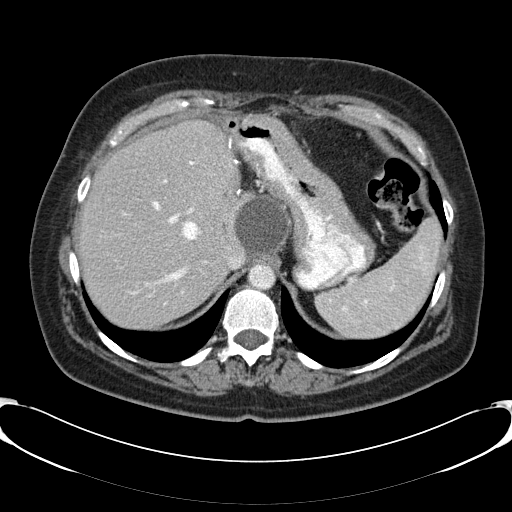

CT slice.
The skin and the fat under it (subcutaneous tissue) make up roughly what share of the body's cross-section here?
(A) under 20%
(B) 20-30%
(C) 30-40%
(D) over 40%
Answer: (B) 20-30%
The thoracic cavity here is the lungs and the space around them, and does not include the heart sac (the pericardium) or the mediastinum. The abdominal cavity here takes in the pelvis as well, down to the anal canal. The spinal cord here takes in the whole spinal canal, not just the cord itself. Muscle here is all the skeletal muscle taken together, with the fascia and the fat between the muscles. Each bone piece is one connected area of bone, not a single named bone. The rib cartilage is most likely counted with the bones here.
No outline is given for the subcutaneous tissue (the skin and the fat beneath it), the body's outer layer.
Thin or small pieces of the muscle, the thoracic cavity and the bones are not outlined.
The muscle is outlined by (186, 88) (189, 89) (207, 88) (208, 89) (220, 89) (221, 90) (232, 90) (233, 91) (262, 91) (263, 92) (277, 92) (278, 93) (288, 93) (289, 94) (294, 93) (295, 94) (304, 94) (305, 95) (319, 95) (320, 94) (333, 94) (334, 93) (354, 95) (358, 97) (362, 97) (371, 100) (381, 105) (390, 112) (399, 116) (406, 121) (426, 142) (427, 147) (431, 151) (435, 163) (442, 175) (457, 207) (457, 232) (456, 233) (455, 272) (454, 273) (453, 325) (449, 336) (443, 342) (424, 351) (372, 381) (337, 390) (319, 396) (312, 396) (311, 397) (288, 397) (261, 388) (256, 388) (255, 387) (246, 388) (242, 386) (237, 386) (233, 389) (228, 390) (225, 394) (216, 396) (199, 396) (194, 394) (190, 394) (177, 389) (174, 389) (171, 387) (164, 386) (151, 381) (148, 381) (136, 376) (132, 373) (127, 372) (125, 370) (101, 358) (77, 342) (67, 331) (59, 310) (58, 290) (57, 289) (57, 264) (58, 263) (58, 246) (63, 228) (67, 206) (70, 199) (72, 189) (77, 180) (78, 175) (88, 158) (93, 153) (108, 130) (124, 113) (145, 100) (150, 99) (172, 90) (185, 89) with holes at (194, 97) (213, 99) (215, 104) (191, 105) (154, 117) (131, 134) (161, 118) (232, 109) (273, 97) (319, 116) (356, 120) (340, 115) (339, 104) (374, 109) (419, 141) (426, 154) (424, 167) (453, 210) (441, 264) (446, 277) (435, 304) (425, 310) (401, 344) (402, 350) (389, 362) (350, 375) (348, 371) (362, 365) (310, 368) (296, 357) (298, 349) (281, 324) (274, 334) (272, 353) (261, 355) (250, 367) (238, 354) (224, 362) (218, 359) (217, 352) (226, 344) (220, 324) (200, 348) (212, 346) (212, 350) (190, 366) (133, 353) (143, 363) (133, 362) (101, 341) (81, 285) (76, 285) (69, 268) (68, 253) (76, 252) (82, 207) (77, 201) (78, 186) (87, 174) (94, 177) (111, 149) (108, 140) (120, 123) (162, 102) and at (246, 380) (247, 380) (248, 380) (249, 380) (250, 380) (251, 381) (252, 382) (253, 382) (253, 383) (254, 384) (253, 385) (252, 385) (251, 386) (250, 386) (249, 386) (248, 386) (247, 386) (246, 386) (245, 385) (244, 385) (243, 384) (243, 383) (244, 382) (245, 381). The thoracic cavity appears in 3 outlined pieces: piece 1: (282, 286) (287, 290) (293, 306) (300, 317) (314, 330) (336, 341) (376, 340) (393, 334) (409, 324) (416, 317) (429, 296) (430, 295) (430, 299) (419, 323) (400, 345) (378, 358) (362, 365) (331, 367) (324, 365) (299, 350) (292, 342) (292, 339) (281, 324) (279, 313); piece 2: (82, 288) (93, 306) (110, 324) (124, 330) (151, 333) (167, 332) (182, 328) (203, 315) (226, 290) (228, 290) (228, 296) (225, 302) (220, 324) (206, 342) (193, 354) (185, 358) (178, 361) (165, 362) (150, 360) (131, 353) (102, 331) (94, 321) (87, 307) (82, 293); piece 3: (428, 174) (437, 186) (437, 188) (441, 197) (442, 209) (443, 210) (445, 221) (447, 225) (446, 236) (444, 235) (444, 231) (438, 214) (436, 212) (436, 210) (434, 209) (430, 201) (430, 192) (429, 191) (429, 186) (428, 185) (428, 182) (429, 181). The torso is outlined by (198, 53) (365, 62) (409, 79) (443, 106) (461, 137) (485, 231) (477, 339) (471, 357) (460, 370) (411, 395) (360, 411) (300, 421) (248, 418) (232, 422) (132, 403) (85, 386) (57, 366) (33, 303) (29, 247) (40, 198) (69, 130) (90, 96) (122, 71) (159, 58). The mediastinum is outlined by (260, 261) (271, 262) (279, 271) (279, 277) (281, 280) (279, 312) (277, 311) (276, 305) (270, 296) (265, 292) (258, 289) (255, 289) (250, 287) (245, 287) (237, 290) (228, 298) (229, 296) (229, 290) (234, 282) (248, 269) (248, 267) (250, 265) (255, 262) (259, 262). The abdominal cavity is outlined by (265, 97) (386, 131) (427, 170) (429, 201) (446, 237) (431, 295) (415, 317) (393, 333) (376, 339) (336, 340) (301, 317) (278, 268) (260, 260) (250, 264) (203, 314) (182, 327) (151, 332) (110, 323) (81, 287) (76, 255) (78, 217) (102, 158) (161, 118) (232, 109). The spinal cord is outlined by (249, 329) (252, 329) (253, 330) (257, 330) (259, 331) (263, 335) (264, 335) (265, 337) (265, 341) (263, 343) (258, 345) (256, 347) (252, 349) (248, 349) (246, 348) (241, 344) (238, 343) (235, 340) (235, 337) (241, 331) (243, 331) (244, 330) (248, 330). The bones appear in 11 outlined pieces: piece 1: (245, 288) (258, 290) (269, 296) (275, 305) (280, 321) (280, 326) (274, 334) (274, 347) (272, 353) (270, 355) (261, 355) (250, 367) (238, 354) (230, 356) (224, 362) (221, 362) (217, 357) (217, 352) (226, 344) (226, 333) (221, 326) (221, 320) (226, 302) (234, 293), around a hole outlined by (249, 329) (252, 329) (253, 330) (257, 330) (259, 331) (263, 335) (264, 335) (265, 337) (265, 341) (263, 343) (258, 345) (256, 347) (252, 349) (248, 349) (246, 348) (241, 344) (238, 343) (235, 340) (235, 337) (241, 331) (243, 331) (244, 330) (248, 330); piece 2: (194, 97) (205, 97) (213, 99) (215, 101) (215, 104) (197, 106) (191, 105) (181, 111) (176, 111) (166, 115) (160, 115) (154, 117) (138, 125) (117, 145) (113, 147) (109, 145) (108, 140) (110, 136) (119, 124) (129, 117) (151, 106) (165, 101) (181, 98) (189, 99); piece 3: (339, 104) (350, 104) (355, 106) (361, 106) (374, 109) (395, 124) (399, 125) (405, 129) (414, 136) (421, 144) (426, 154) (427, 165) (426, 166) (421, 165) (410, 153) (406, 146) (397, 137) (385, 128) (375, 124) (362, 121) (351, 116) (340, 115) (342, 114) (338, 106); piece 4: (401, 345) (403, 347) (402, 350) (393, 359) (386, 364) (378, 368) (372, 370) (369, 370) (368, 371) (365, 371) (364, 372) (361, 372) (360, 373) (357, 373) (356, 374) (348, 375) (346, 373) (350, 370) (358, 369) (364, 365) (378, 359) (380, 357) (385, 355) (390, 351); piece 5: (97, 329) (99, 329) (102, 332) (103, 332) (110, 339) (111, 339) (124, 350) (131, 354) (135, 358) (141, 361) (143, 364) (141, 363) (138, 363) (137, 362) (133, 362) (128, 359) (126, 359) (116, 354) (110, 349) (109, 349) (101, 341) (97, 335) (96, 333) (96, 330); piece 6: (209, 346) (212, 346) (212, 350) (209, 353) (209, 354) (202, 361) (201, 361) (199, 363) (195, 365) (191, 365) (190, 366) (183, 366) (179, 364) (178, 362) (179, 361) (183, 359) (185, 359) (193, 355) (197, 351) (205, 347) (208, 347); piece 7: (441, 270) (444, 270) (446, 274) (446, 277) (445, 278) (445, 283) (444, 284) (443, 289) (441, 292) (440, 296) (438, 298) (435, 304) (431, 308) (427, 309) (429, 305) (430, 300) (431, 299) (432, 292) (433, 291) (433, 289) (434, 288) (436, 280); piece 8: (70, 250) (72, 250) (75, 253) (75, 255) (77, 259) (77, 263) (78, 264) (78, 267) (79, 268) (79, 284) (78, 285) (76, 285) (76, 284) (74, 282) (74, 280) (71, 275) (71, 273) (70, 272) (70, 269) (69, 268) (69, 261) (68, 260) (68, 253); piece 9: (297, 350) (302, 352) (310, 358) (313, 359) (315, 361) (316, 361) (317, 362) (322, 364) (324, 366) (325, 366) (321, 369) (313, 369) (312, 368) (310, 368) (309, 367) (304, 365) (296, 357) (296, 356) (295, 355) (295, 351) (296, 351); piece 10: (87, 174) (89, 174) (90, 175) (90, 176) (91, 177) (91, 181) (89, 184) (89, 187) (87, 190) (87, 193) (85, 195) (85, 197) (84, 198) (83, 201) (82, 202) (79, 203) (77, 201) (77, 189) (78, 188) (78, 186) (79, 185) (79, 184) (80, 183) (81, 180); piece 11: (442, 198) (445, 198) (449, 202) (449, 203) (451, 205) (451, 206) (452, 207) (452, 209) (453, 210) (453, 219) (452, 220) (450, 225) (449, 225) (448, 226) (448, 225) (447, 224) (447, 222) (446, 221) (446, 218) (445, 217) (444, 210) (443, 209) (443, 204) (442, 203).